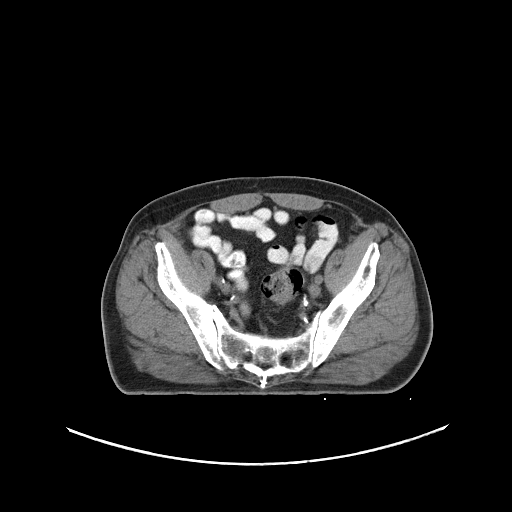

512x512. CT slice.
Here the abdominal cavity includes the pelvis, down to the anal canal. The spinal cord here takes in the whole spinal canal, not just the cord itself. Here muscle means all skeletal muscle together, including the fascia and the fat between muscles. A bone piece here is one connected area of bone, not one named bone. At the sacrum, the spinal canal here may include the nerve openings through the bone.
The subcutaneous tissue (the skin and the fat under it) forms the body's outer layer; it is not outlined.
The bones are outlined by 157 241; 164 242; 181 281; 215 304; 235 330; 270 337; 302 333; 350 281; 371 242; 378 244; 379 258; 372 290; 326 359; 314 368; 308 365; 298 372; 269 376; 260 388; 260 378; 241 364; 220 372; 205 359; 184 316; 158 284 with holes at 283 353; 284 353; 285 353; 286 353; 287 354; 288 355; 289 356; 289 357; 289 358; 289 359; 288 360; 287 361; 286 362; 285 362; 284 362; 283 362; 282 361; 281 360; 280 359; 280 358; 280 357; 280 356; 281 355; 282 354 and at 257 362; 258 363; 261 363; 262 364; 263 363; 272 363; 273 364; 271 366; 269 366; 268 367; 266 367; 265 368; 263 368; 261 366; 260 366; 258 364; 257 364. The muscle is outlined by 258 191; 298 193; 341 202; 359 214; 385 223; 406 242; 415 284; 418 330; 407 355; 380 378; 359 385; 292 381; 265 388; 269 377; 298 373; 308 366; 314 369; 327 359; 351 317; 373 290; 380 258; 379 244; 371 241; 349 281; 332 297; 324 281; 325 267; 331 254; 344 248; 360 231; 356 220; 335 207; 294 209; 269 197; 236 211; 203 205; 183 220; 181 239; 185 249; 204 250; 214 262; 215 279; 209 286; 209 302; 182 281; 165 242; 157 240; 153 245; 157 284; 183 316; 204 359; 220 373; 241 365; 259 378; 258 387; 240 380; 174 382; 136 367; 124 343; 123 324; 115 301; 119 270; 135 236; 198 203. The torso is outlined by 275 175; 319 178; 354 189; 388 209; 404 229; 416 249; 427 284; 433 313; 433 333; 431 342; 416 373; 401 388; 386 394; 128 395; 120 391; 110 375; 105 356; 100 302; 107 270; 132 216; 149 201; 186 186; 229 177. The spinal cord appears in 3 outlined pieces: piece 1: 283 353; 284 353; 285 353; 286 353; 287 354; 288 355; 289 356; 289 357; 289 358; 289 359; 288 360; 287 361; 286 362; 285 362; 284 362; 283 362; 282 361; 281 360; 280 359; 280 358; 280 357; 280 356; 281 355; 282 354; piece 2: 257 362; 258 363; 261 363; 262 364; 263 363; 272 363; 273 364; 271 366; 269 366; 268 367; 266 367; 265 368; 263 368; 261 366; 260 366; 258 364; 257 364; piece 3: 247 354; 248 354; 249 354; 250 355; 251 356; 251 357; 251 358; 250 359; 249 360; 248 360; 247 360; 246 359; 245 358; 245 357; 245 356; 246 355. The abdominal cavity is outlined by 264 198; 294 210; 335 208; 347 213; 359 227; 351 241; 328 257; 323 281; 331 298; 297 335; 270 336; 235 329; 219 307; 208 300; 216 279; 212 255; 199 248; 188 251; 183 244; 182 224; 194 210; 208 206; 220 212; 243 211.